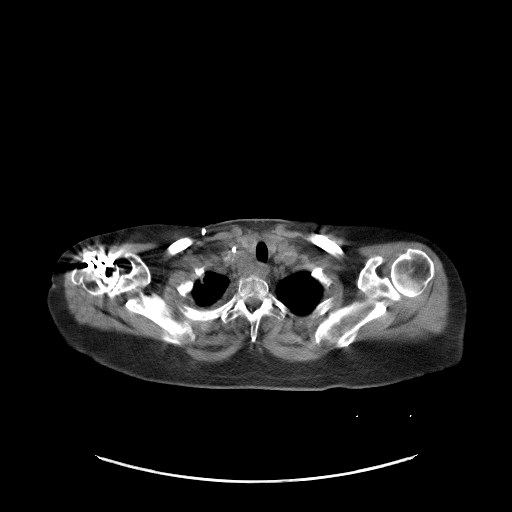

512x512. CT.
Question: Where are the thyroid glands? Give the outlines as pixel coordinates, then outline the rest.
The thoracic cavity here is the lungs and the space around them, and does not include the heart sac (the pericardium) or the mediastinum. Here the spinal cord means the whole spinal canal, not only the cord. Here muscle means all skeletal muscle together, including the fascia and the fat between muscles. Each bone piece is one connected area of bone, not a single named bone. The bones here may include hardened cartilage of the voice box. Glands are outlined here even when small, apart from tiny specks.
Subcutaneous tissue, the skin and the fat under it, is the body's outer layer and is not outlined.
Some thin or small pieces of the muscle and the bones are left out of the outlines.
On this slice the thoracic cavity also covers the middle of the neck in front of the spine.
Answer: Outlined structures:
thyroid glands 1: (244, 236) (254, 236) (255, 237) (255, 241) (254, 242) (254, 243) (253, 244) (253, 247) (252, 248) (252, 249) (250, 251) (248, 251) (246, 249) (245, 249) (240, 244) (240, 243) (238, 241) (238, 239) (239, 238) (240, 238) (241, 237) (243, 237)
thyroid glands 2: (267, 236) (274, 236) (275, 237) (277, 237) (278, 238) (279, 238) (281, 240) (281, 243) (280, 244) (280, 245) (277, 247) (277, 248) (273, 253) (272, 253) (270, 251) (270, 250) (269, 249) (269, 246) (268, 245) (268, 242) (267, 241) (267, 239) (266, 238) (266, 237)
spinal cord: (251, 297) (255, 297) (257, 299) (258, 299) (260, 301) (260, 304) (257, 307) (256, 307) (254, 309) (253, 309) (252, 310) (251, 310) (250, 309) (249, 309) (249, 308) (247, 306) (247, 304) (246, 303) (246, 301) (249, 298) (250, 298)
right arm: (113, 230) (115, 231) (115, 235) (119, 242) (119, 251) (117, 265) (113, 276) (113, 281) (107, 299) (107, 303) (99, 318) (78, 338) (69, 345) (67, 345) (57, 333) (46, 306) (46, 293) (51, 284) (50, 277) (55, 263) (58, 257) (66, 249) (78, 241) (96, 234)
left arm: (390, 227) (411, 231) (427, 237) (437, 244) (448, 255) (454, 263) (462, 280) (466, 292) (466, 295) (467, 296) (468, 316) (467, 317) (467, 324) (466, 325) (466, 346) (399, 292) (392, 284) (390, 275) (389, 274) (387, 256) (385, 252) (385, 244) (386, 243) (387, 235)
bones 1: (121, 247) (149, 269) (143, 293) (160, 296) (178, 321) (179, 305) (218, 307) (251, 274) (293, 314) (264, 315) (254, 342) (241, 315) (226, 323) (191, 321) (194, 340) (186, 334) (182, 344) (169, 343) (157, 324) (125, 308) (136, 291) (111, 299) (73, 282) (78, 254), around a hole outlined by (251, 297) (255, 297) (257, 299) (258, 299) (260, 301) (260, 304) (257, 307) (256, 307) (254, 309) (253, 309) (252, 310) (251, 310) (250, 309) (249, 309) (249, 308) (247, 306) (247, 304) (246, 303) (246, 301) (249, 298) (250, 298)
bones 2: (410, 247) (433, 262) (434, 275) (423, 291) (398, 301) (386, 298) (385, 314) (362, 325) (347, 346) (338, 348) (326, 339) (316, 344) (314, 333) (324, 317) (306, 315) (329, 297) (333, 309) (366, 301) (357, 287) (366, 261) (381, 256) (376, 271) (388, 276) (393, 261), around a hole outlined by (369, 303) (372, 303) (373, 305) (372, 307) (370, 309) (369, 309) (363, 316) (362, 316) (350, 327) (344, 329) (339, 335) (335, 335) (334, 334) (334, 333) (336, 332) (336, 330) (334, 328) (334, 326) (338, 325) (344, 318) (351, 316) (352, 315) (354, 315)
bones 3: (311, 232) (315, 232) (316, 233) (320, 233) (321, 234) (324, 234) (325, 235) (327, 235) (330, 239) (332, 240) (334, 240) (343, 250) (343, 252) (344, 253) (343, 255) (339, 257) (336, 257) (332, 255) (330, 253) (327, 252) (319, 246) (307, 240) (306, 239) (306, 236)
bones 4: (185, 236) (189, 236) (190, 237) (191, 237) (193, 239) (193, 242) (189, 246) (188, 246) (183, 250) (182, 250) (181, 251) (176, 253) (174, 255) (168, 255) (166, 252) (166, 248) (171, 243) (172, 243) (174, 241) (175, 241) (176, 240) (177, 240) (182, 237) (184, 237)
bones 5: (312, 265) (313, 266) (318, 266) (319, 267) (320, 267) (322, 269) (323, 272) (325, 274) (326, 274) (332, 280) (332, 282) (326, 289) (324, 289) (324, 288) (322, 286) (322, 285) (316, 279) (315, 279) (311, 276) (310, 271) (309, 270) (309, 269) (308, 268) (307, 268)
bones 6: (186, 280) (193, 280) (194, 281) (194, 283) (193, 284) (193, 287) (190, 291) (190, 292) (189, 293) (188, 293) (185, 297) (184, 297) (183, 296) (182, 296) (178, 292) (176, 287) (177, 286) (177, 285) (178, 285) (181, 282) (183, 282)
torso: (248, 217) (306, 219) (321, 223) (389, 227) (384, 252) (391, 284) (466, 347) (462, 361) (457, 366) (439, 373) (377, 387) (337, 387) (307, 391) (213, 389) (144, 381) (106, 368) (69, 347) (100, 318) (108, 303) (120, 251) (115, 230) (148, 223) (204, 227) (214, 222)
thoracic cavity: (259, 237) (266, 239) (272, 254) (281, 244) (287, 246) (299, 269) (309, 271) (321, 285) (321, 299) (312, 310) (305, 315) (292, 312) (270, 283) (254, 273) (240, 276) (223, 303) (213, 308) (197, 308) (191, 297) (195, 281) (211, 269) (226, 248) (239, 244) (250, 252)
muscle 1: (275, 224) (310, 232) (305, 239) (336, 258) (344, 250) (322, 231) (360, 245) (394, 241) (426, 245) (440, 259) (448, 279) (451, 309) (446, 330) (418, 341) (354, 342) (362, 326) (386, 314) (386, 299) (398, 302) (403, 296) (414, 298) (424, 291) (435, 275) (434, 262) (424, 250) (407, 247) (392, 261) (388, 275) (382, 276) (377, 269) (385, 259) (379, 254) (370, 256) (356, 279) (366, 300) (333, 308) (333, 296) (322, 299) (333, 280) (318, 265) (300, 269) (292, 250) (274, 235) (241, 236) (239, 243) (221, 252) (210, 269) (196, 267) (196, 280) (186, 279) (175, 287) (184, 298) (190, 293) (195, 307) (179, 304) (183, 318) (174, 318) (160, 295) (144, 293) (151, 272) (133, 249) (89, 248) (146, 242) (175, 232); inner edge: (185, 236) (189, 236) (190, 237) (191, 237) (193, 239) (193, 242) (189, 246) (188, 246) (183, 250) (182, 250) (181, 251) (176, 253) (174, 255) (168, 255) (166, 252) (166, 248) (171, 243) (172, 243) (174, 241) (175, 241) (176, 240) (177, 240) (182, 237) (184, 237)
muscle 2: (71, 265) (72, 282) (91, 295) (105, 293) (112, 300) (136, 292) (137, 296) (125, 300) (124, 308) (157, 325) (160, 338) (163, 341) (169, 344) (172, 344) (177, 346) (182, 345) (186, 335) (193, 342) (196, 335) (191, 322) (219, 318) (226, 324) (241, 316) (249, 323) (254, 343) (264, 316) (282, 321) (295, 314) (307, 320) (323, 317) (313, 342) (319, 345) (326, 340) (340, 349) (306, 362) (290, 362) (247, 347) (223, 361) (192, 361) (188, 355) (177, 347) (171, 344) (167, 344) (165, 345) (78, 323) (64, 297) (65, 274)
muscle 3: (369, 303) (372, 303) (373, 305) (372, 307) (370, 309) (369, 309) (363, 316) (362, 316) (350, 327) (344, 329) (339, 335) (335, 335) (334, 334) (334, 333) (336, 332) (336, 330) (334, 328) (334, 326) (338, 325) (344, 318) (351, 316) (352, 315) (354, 315)